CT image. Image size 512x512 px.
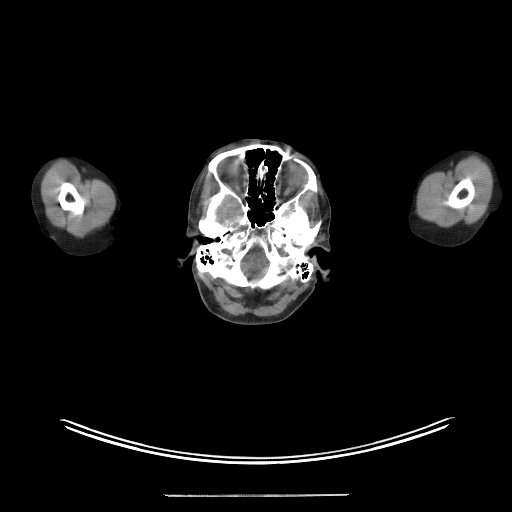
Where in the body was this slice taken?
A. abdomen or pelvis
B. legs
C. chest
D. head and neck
D. head and neck
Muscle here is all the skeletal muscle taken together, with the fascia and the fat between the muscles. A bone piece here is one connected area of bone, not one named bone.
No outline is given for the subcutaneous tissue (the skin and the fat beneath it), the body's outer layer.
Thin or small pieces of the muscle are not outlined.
Outlines:
muscle 1: 469 153; 474 153; 480 156; 489 166; 493 177; 492 197; 488 209; 485 214; 475 223; 469 226; 457 228; 440 227; 433 223; 420 219; 415 214; 414 211; 415 210; 416 195; 423 179; 428 174; 440 168; 449 161; 456 158; 463 157, around a hole outlined by 465 177; 470 177; 471 178; 471 180; 473 183; 473 185; 475 189; 475 193; 474 194; 474 196; 470 203; 463 208; 458 208; 457 209; 456 208; 452 208; 444 204; 444 201; 445 201; 447 199; 448 196; 450 194; 454 186; 460 180
muscle 2: 65 158; 86 168; 106 182; 110 186; 115 195; 116 206; 107 225; 103 229; 96 231; 94 233; 90 233; 83 238; 76 238; 65 231; 62 231; 52 227; 48 223; 45 217; 44 207; 40 198; 40 181; 45 170; 50 165; 51 162 with a hole at 64 181; 65 182; 69 182; 73 184; 79 194; 82 197; 83 197; 85 205; 84 206; 84 212; 82 215; 76 215; 75 216; 72 215; 69 211; 64 210; 61 207; 59 202; 57 200; 58 194; 60 190; 60 185; 62 183; 62 182
muscle 3: 204 273; 207 273; 212 279; 219 278; 236 287; 247 287; 252 290; 258 288; 265 291; 288 280; 306 283; 312 275; 313 277; 309 286; 297 299; 276 316; 259 317; 251 314; 231 316; 221 310; 210 295; 199 277
muscle 4: 319 187; 324 196; 326 203; 327 224; 326 225; 325 241; 323 243; 314 245; 313 244; 315 242; 315 239; 320 230; 323 220; 321 217; 319 217; 312 225; 307 210; 300 203; 299 198; 307 191; 311 191; 313 194; 316 194; 318 192
muscle 5: 206 167; 205 177; 208 179; 212 176; 218 186; 218 189; 205 200; 205 203; 206 204; 205 212; 198 218; 197 221; 197 228; 200 232; 198 232; 196 231; 191 225; 191 212; 192 211; 199 180; 201 178
left arm: 465 147; 472 147; 479 149; 489 156; 492 160; 495 166; 503 192; 501 204; 499 209; 489 216; 483 227; 470 241; 462 245; 454 247; 436 246; 415 236; 410 231; 408 227; 407 215; 412 200; 412 193; 419 177; 427 168; 450 153
brain 1: 256 246; 257 246; 261 249; 268 263; 267 264; 267 266; 264 267; 261 270; 261 272; 262 273; 262 275; 261 276; 259 277; 253 277; 252 278; 249 278; 242 269; 242 267; 241 266; 241 263; 244 257; 253 248; 254 248
brain 2: 228 198; 230 198; 233 200; 233 201; 235 202; 235 204; 237 205; 237 213; 236 213; 235 215; 234 215; 233 217; 231 218; 225 218; 222 221; 220 221; 219 220; 219 216; 218 215; 218 210; 220 207; 222 206; 224 202; 228 199
bones 1: 252 143; 276 145; 283 150; 289 149; 291 154; 307 163; 315 174; 317 192; 307 190; 298 198; 312 226; 319 218; 322 220; 312 247; 305 252; 313 263; 313 271; 306 282; 288 279; 269 289; 258 287; 252 289; 230 284; 219 277; 212 278; 207 272; 200 276; 197 273; 196 249; 199 244; 211 241; 199 230; 198 221; 206 212; 206 200; 219 189; 212 175; 206 177; 208 163; 220 152, around holes outlined by 256 149; 261 149; 264 152; 268 150; 276 152; 280 155; 279 163; 270 184; 274 191; 274 204; 271 209; 273 217; 261 225; 253 223; 250 220; 248 214; 251 209; 247 200; 247 198; 250 196; 250 167; 246 161; 246 154; 248 151 and by 291 160; 303 168; 306 173; 306 181; 302 185; 302 187; 293 196; 290 197; 284 201; 282 201; 279 195; 280 194; 278 190; 278 185; 277 184; 277 182; 279 179; 280 174; 283 169; 283 166; 284 164; 286 162; 290 161 and by 229 157; 236 157; 234 161; 236 163; 242 163; 243 165; 243 170; 245 173; 245 179; 246 180; 244 183; 244 187; 243 188; 243 191; 241 195; 238 194; 230 186; 226 184; 220 178; 218 173; 218 170; 217 169; 219 164; 222 161 and by 256 246; 257 246; 261 249; 268 263; 267 264; 267 266; 264 267; 261 270; 261 272; 262 273; 262 275; 261 276; 259 277; 253 277; 252 278; 249 278; 242 269; 242 267; 241 266; 241 263; 244 257; 253 248; 254 248 and by 228 198; 230 198; 233 200; 233 201; 235 202; 235 204; 237 205; 237 213; 236 213; 235 215; 234 215; 233 217; 231 218; 225 218; 222 221; 220 221; 219 220; 219 216; 218 215; 218 210; 220 207; 222 206; 224 202; 228 199
bones 2: 64 181; 65 182; 69 182; 73 184; 79 194; 82 197; 83 197; 85 205; 84 206; 84 212; 82 215; 76 215; 75 216; 72 215; 69 211; 64 210; 61 207; 59 202; 57 200; 58 194; 60 190; 60 185; 62 183; 62 182
bones 3: 465 177; 470 177; 471 178; 471 180; 473 183; 473 185; 475 189; 475 193; 474 194; 474 196; 470 203; 463 208; 458 208; 457 209; 456 208; 452 208; 444 204; 444 201; 445 201; 447 199; 448 196; 450 194; 454 186; 460 180
bones 4: 264 158; 265 159; 264 163; 268 166; 268 171; 265 176; 266 177; 265 190; 267 193; 267 196; 264 198; 264 201; 261 202; 258 198; 258 193; 262 189; 260 187; 258 188; 257 187; 255 180; 255 171; 251 168; 254 167; 255 168
head 1: 242 138; 285 142; 310 158; 331 208; 330 251; 313 247; 308 252; 323 269; 330 267; 329 280; 324 281; 318 271; 307 300; 277 323; 241 325; 213 315; 199 295; 193 259; 177 265; 191 247; 185 231; 197 176; 215 149 with holes at 256 149; 261 149; 264 152; 268 150; 276 152; 280 155; 279 163; 270 184; 274 191; 274 204; 271 209; 273 217; 261 225; 253 223; 250 220; 248 214; 251 209; 247 200; 247 198; 250 196; 250 167; 246 161; 246 154; 248 151 and at 203 236; 204 237; 205 237; 206 238; 208 238; 209 239; 210 239; 210 241; 209 242; 207 242; 206 243; 200 243; 199 242; 199 241; 198 240; 198 239; 197 238; 198 237; 202 237
head 2: 264 158; 265 159; 264 163; 268 166; 268 171; 265 176; 266 177; 265 190; 267 193; 267 196; 264 198; 264 201; 261 202; 258 198; 258 193; 262 189; 260 187; 258 188; 257 187; 255 180; 255 171; 251 168; 254 167; 255 168
right arm: 57 154; 72 154; 83 158; 105 173; 112 180; 117 189; 121 205; 118 217; 113 223; 115 238; 114 243; 107 250; 99 254; 86 257; 68 255; 62 252; 52 240; 45 236; 40 230; 31 205; 31 185; 35 173; 40 165; 49 157